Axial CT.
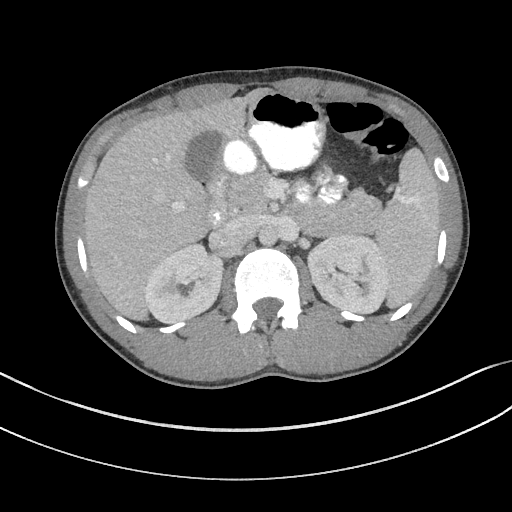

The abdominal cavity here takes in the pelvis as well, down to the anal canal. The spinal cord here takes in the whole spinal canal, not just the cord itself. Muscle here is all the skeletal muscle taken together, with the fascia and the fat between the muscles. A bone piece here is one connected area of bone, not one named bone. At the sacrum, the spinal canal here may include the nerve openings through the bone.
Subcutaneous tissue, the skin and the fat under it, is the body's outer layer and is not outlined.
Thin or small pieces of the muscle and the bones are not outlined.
Outlined structures:
torso: 210,392 268,376 326,384 377,371 414,344 443,309 466,260 469,208 454,152 441,128 417,102 386,85 329,68 215,70 146,90 104,114 83,136 64,174 54,220 55,256 64,289 90,330 132,367 171,387
spinal cord: 262,316 270,316 271,315 274,315 276,311 278,309 278,308 281,305 281,302 279,300 277,299 274,299 273,298 264,298 256,302 253,305 253,307 254,309 257,312 257,313 259,315 261,315
abdominal cavity: 143,328 187,321 212,310 224,270 259,247 302,258 319,302 370,316 395,310 427,280 436,257 438,186 421,147 398,121 369,102 314,103 260,84 203,107 134,125 98,162 86,196 83,239 100,293 118,314
muscle: 198,382 215,382 224,379 242,377 267,366 276,366 293,373 305,375 333,374 356,369 380,359 398,347 433,309 442,295 458,259 463,232 462,209 456,175 446,149 437,132 418,110 395,96 344,81 298,76 264,82 214,82 181,88 138,107 127,109 104,122 91,135 75,164 65,198 62,234 63,253 68,272 88,312 106,334 146,367 167,376, around holes outlined by 241,335 259,328 266,335 279,327 298,328 302,309 295,255 303,259 318,301 340,310 345,320 404,316 445,255 435,179 449,181 442,159 436,156 432,168 410,133 369,102 314,103 260,84 203,107 145,120 111,144 86,196 83,237 77,239 82,271 86,275 90,268 127,331 135,334 140,326 171,333 217,305 224,270 239,261 237,307 230,317 and by 78,189 81,189 88,184 90,176 94,169 96,158 100,151 100,149 102,145 113,131 114,129 113,127 108,128 102,134 101,134 96,145 92,151 91,155 81,170 80,175 78,177 78,179 77,180 77,188 and by 410,121 411,121 411,119 408,116 408,115 401,108 400,108 396,104 392,104 391,103 389,103 388,104 388,107 390,109 391,109 393,111 394,111 396,113 397,113 399,115 400,115 405,119 407,119
bones 1: 241,335 259,328 266,335 271,334 279,327 284,330 296,330 298,328 298,316 302,312 299,303 298,273 291,259 279,250 273,248 256,249 248,253 236,268 234,292 236,295 237,307 230,317 237,324 238,331 with a hole at 262,316 270,316 271,315 274,315 276,311 278,309 278,308 281,305 281,302 279,300 277,299 274,299 273,298 264,298 256,302 253,305 253,307 254,309 257,312 257,313 259,315 261,315
bones 2: 78,189 81,189 88,184 90,176 94,169 96,158 100,151 100,149 102,145 113,131 114,129 113,127 108,128 102,134 101,134 96,145 92,151 91,155 81,170 80,175 78,177 78,179 77,180 77,188
bones 3: 444,183 447,183 449,181 449,176 448,175 448,172 447,171 447,169 444,164 444,162 442,160 442,159 440,157 439,157 438,156 436,156 433,160 433,169 434,170 434,172 435,173 436,176 438,178 438,179
bones 4: 436,266 438,266 440,265 443,262 443,260 444,259 444,256 445,255 445,248 446,247 446,236 445,235 445,231 444,230 441,230 439,234 439,239 438,240 438,245 437,246 437,257 436,258
bones 5: 85,275 86,275 88,266 87,265 86,254 85,253 85,249 84,248 84,243 83,242 83,240 82,238 80,236 79,236 77,239 77,252 78,253 78,257 79,258 79,263 80,264 80,267 82,271 85,274
bones 6: 389,321 394,321 395,320 397,320 398,319 401,318 403,316 404,316 409,311 409,310 411,308 411,306 412,305 412,303 410,301 409,301 408,302 407,302 405,304 402,305 395,311 390,313 390,317 389,318
bones 7: 134,334 135,334 138,332 138,327 134,324 133,324 131,322 130,322 128,320 127,320 125,318 122,317 120,315 115,315 115,316 114,317 117,321 117,322 123,328 124,328 127,331 128,331 131,333 133,333
bones 8: 163,333 171,333 172,332 174,332 175,331 182,328 184,326 185,326 186,323 185,322 185,321 179,321 178,322 176,322 173,324 171,324 168,326 164,326 163,327 159,327 157,329 160,332 162,332
bones 9: 410,121 411,121 411,119 408,116 408,115 401,108 400,108 396,104 392,104 391,103 389,103 388,104 388,107 390,109 391,109 393,111 394,111 396,113 397,113 399,115 400,115 405,119 407,119